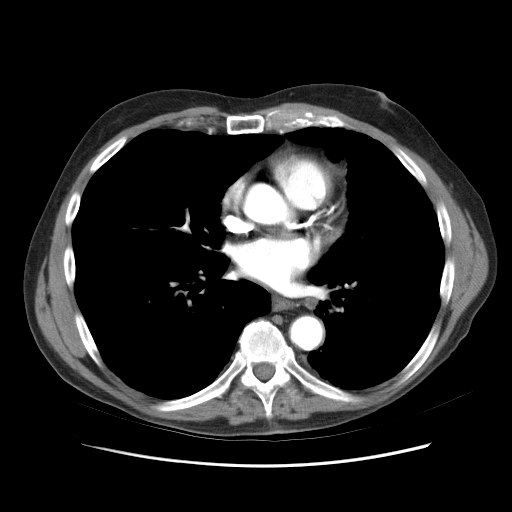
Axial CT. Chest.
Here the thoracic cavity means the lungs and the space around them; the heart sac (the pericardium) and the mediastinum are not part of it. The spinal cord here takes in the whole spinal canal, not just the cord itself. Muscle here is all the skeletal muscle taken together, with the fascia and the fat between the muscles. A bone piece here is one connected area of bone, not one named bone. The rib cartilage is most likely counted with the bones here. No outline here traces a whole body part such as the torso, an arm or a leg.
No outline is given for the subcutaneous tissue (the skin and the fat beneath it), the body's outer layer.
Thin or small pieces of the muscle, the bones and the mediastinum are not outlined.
Outlines:
thoracic cavity: 311,126 379,141 435,211 440,303 420,347 361,389 303,366 326,339 307,276 345,231 347,161 285,137 220,201 227,271 263,288 269,311 201,389 160,399 128,385 74,291 72,224 93,174 152,129 283,136
muscle: 286,102 303,102 338,110 355,119 366,122 393,136 401,144 411,149 423,158 436,172 447,187 451,190 451,194 457,203 464,209 467,210 475,225 475,227 483,240 488,257 488,273 484,284 474,299 461,314 446,343 439,351 432,362 410,383 389,398 377,404 372,405 369,407 355,410 315,412 312,413 308,417 302,419 295,419 294,420 271,419 269,420 263,418 262,419 256,419 251,422 245,422 236,425 230,424 223,417 219,417 215,419 205,420 204,421 192,421 191,420 166,419 165,418 154,417 142,413 124,403 121,400 114,397 101,388 96,386 71,368 48,343 38,325 34,310 34,296 35,295 37,277 44,257 48,255 50,250 51,236 53,233 56,216 60,206 72,184 86,163 97,153 101,146 125,128 141,123 160,114 174,111 180,111 196,106 214,106 224,111 232,113 240,113 241,112 252,112 258,109, around a hole outlined by 274,109 335,115 388,149 397,146 421,169 433,209 440,201 444,204 451,228 451,240 443,246 444,258 453,260 454,277 449,300 439,304 433,321 440,325 437,340 419,368 397,386 397,373 369,387 346,389 360,398 355,402 314,393 293,377 276,391 272,416 267,418 261,399 237,376 220,397 158,410 153,405 163,399 128,385 104,362 103,367 97,365 82,342 75,322 75,313 81,311 63,263 65,249 72,244 72,227 65,222 68,203 75,191 83,193 95,158 122,136 127,143 152,129 177,128 187,118 197,124 193,129 225,133 228,114 264,115
pericardium: 287,145 317,151 323,154 330,161 340,166 346,172 346,197 349,213 344,231 319,261 309,270 306,277 282,290 271,290 245,277 242,277 236,271 230,258 222,250 225,233 220,218 221,201 229,186 254,164
spinal cord: 262,362 265,362 266,363 269,363 271,364 273,366 273,368 274,369 274,372 273,374 268,379 266,380 261,380 259,378 258,378 255,375 254,373 254,366 256,364 258,363 261,363
bones 1: 259,319 269,321 281,332 299,366 358,396 358,401 346,402 314,393 293,377 276,391 271,404 272,416 267,418 261,399 243,386 237,376 220,397 170,411 153,406 164,400 189,396 213,382 232,361 244,327; inner edge: 262,362 265,362 266,363 269,363 271,364 273,366 273,368 274,369 274,372 273,374 268,379 266,380 261,380 259,378 258,378 255,375 254,373 254,366 256,364 258,363 261,363
bones 2: 274,109 297,111 306,110 326,115 335,115 353,126 355,129 354,130 347,129 344,127 311,125 305,127 292,128 288,130 279,129 264,132 250,132 237,134 228,133 226,132 225,127 226,115 264,115 268,111
bones 3: 435,322 439,323 440,328 439,329 439,334 438,335 437,340 431,352 424,362 413,374 412,374 402,383 399,384 397,386 393,386 394,383 400,377 398,373 411,360 411,359 421,347 422,344 427,337 433,324
bones 4: 76,312 80,312 81,313 87,325 87,327 92,336 92,338 98,349 99,354 103,361 103,367 100,367 96,364 96,363 89,355 87,350 85,348 82,342 82,340 80,337 80,335 75,322 75,313
bones 5: 447,257 451,257 453,260 453,262 454,263 454,277 453,278 453,285 451,289 451,294 450,295 449,300 446,305 442,305 441,304 439,291 440,290 440,284 441,283 441,278 442,277 443,268 445,263 445,259
bones 6: 393,146 397,146 404,152 405,152 421,169 426,179 426,185 424,187 423,187 420,184 420,183 414,177 414,176 412,175 412,174 403,165 403,164 400,161 400,160 393,153 393,152 391,150 391,148
bones 7: 122,136 126,136 127,137 127,140 126,141 125,144 92,174 91,173 90,173 90,172 89,171 89,169 90,168 93,161 95,159 95,158 104,149 105,149 109,145 110,145 113,142 114,142 117,139 118,139
bones 8: 440,201 441,201 444,204 447,210 447,213 449,216 449,221 450,222 450,227 451,228 451,240 448,245 444,244 444,242 442,239 441,233 440,232 440,228 439,227 439,223 437,218 437,214 436,213 436,204
bones 9: 68,245 71,245 72,247 72,249 73,250 73,256 74,257 74,264 75,265 75,279 74,280 73,288 72,289 71,289 68,286 66,282 66,278 65,277 65,273 64,272 64,264 63,263 65,249
bones 10: 75,191 79,192 81,195 80,197 80,201 79,202 79,207 77,213 71,224 71,226 68,226 66,225 65,222 65,215 66,214 66,211 67,210 67,207 70,198 72,194
mediastinum 1: 307,277 316,289 317,304 314,309 314,313 321,318 324,324 325,339 321,349 316,349 309,353 302,367 296,361 295,352 287,343 282,332 267,319 254,319 263,316 270,311 270,296 265,289 271,291 282,291
mediastinum 2: 285,138 297,144 308,145 316,148 318,148 319,147 320,148 322,148 324,150 327,157 326,157 326,156 323,153 317,150 314,150 308,147 301,147 300,146 291,145 290,144 284,145 272,152 284,141
mediastinum 3: 230,261 233,267 235,269 235,271 237,272 237,273 239,274 239,275 242,278 245,278 246,279 238,279 238,278 236,277 236,276 234,275 233,273 231,273 229,271 228,271 228,266 229,265 229,263